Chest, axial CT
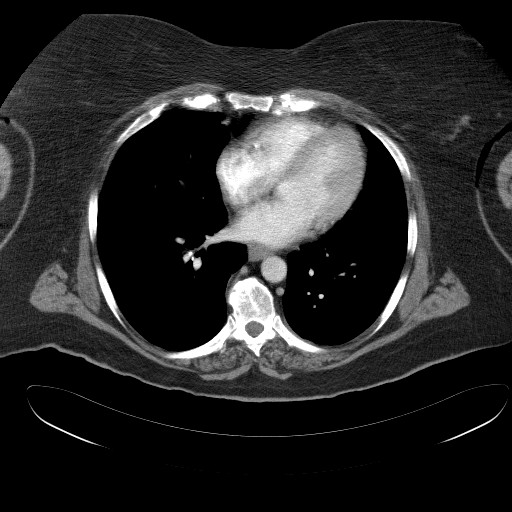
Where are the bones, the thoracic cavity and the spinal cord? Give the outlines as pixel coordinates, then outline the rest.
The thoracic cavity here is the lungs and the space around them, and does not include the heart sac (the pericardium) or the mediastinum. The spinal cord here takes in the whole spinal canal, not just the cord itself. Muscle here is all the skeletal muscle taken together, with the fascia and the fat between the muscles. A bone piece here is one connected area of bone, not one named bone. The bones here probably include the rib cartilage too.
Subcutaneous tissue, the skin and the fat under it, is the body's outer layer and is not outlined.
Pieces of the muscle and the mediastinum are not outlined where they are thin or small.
{"bones":[{"outer":[[247,276],[256,277],[268,287],[276,311],[291,330],[326,351],[304,351],[276,337],[261,346],[259,356],[243,341],[234,339],[226,341],[224,352],[193,358],[166,358],[162,355],[168,351],[188,350],[211,339],[232,310],[226,300],[227,289],[236,280]],"hole":[[253,321],[254,322],[257,322],[258,323],[259,323],[262,326],[262,330],[258,334],[257,334],[255,336],[253,336],[252,335],[251,335],[246,330],[246,326],[247,325],[247,324],[248,323],[249,323],[250,322],[252,322]]},[[226,91],[250,95],[273,96],[291,91],[297,96],[318,100],[322,104],[312,110],[282,113],[279,115],[252,108],[232,110],[224,103],[221,104],[222,109],[219,111],[190,109],[184,108],[180,105],[179,101],[183,97],[194,96],[205,92],[221,95]],[[363,121],[365,121],[374,126],[378,127],[385,132],[396,143],[401,152],[403,154],[408,165],[410,175],[411,176],[411,179],[410,180],[407,180],[402,176],[398,166],[396,164],[389,151],[383,143],[375,135],[374,135],[368,129],[361,124],[361,122]],[[162,100],[167,100],[169,102],[169,104],[165,108],[165,109],[161,112],[159,116],[131,135],[127,139],[126,139],[121,144],[121,145],[119,146],[119,147],[117,147],[115,142],[116,141],[116,139],[119,135],[139,115],[147,111],[152,106],[160,102]],[[406,271],[408,272],[408,275],[407,276],[407,279],[405,283],[405,286],[404,287],[403,292],[395,308],[384,324],[374,334],[370,335],[372,330],[377,323],[377,319],[378,317],[384,309],[387,302],[389,300],[390,296],[401,274],[403,272],[405,272]],[[96,263],[100,264],[102,268],[102,270],[105,275],[105,277],[112,292],[114,299],[118,306],[119,310],[122,314],[121,317],[125,325],[124,327],[114,316],[113,313],[108,306],[101,291],[98,282],[98,278],[96,274],[96,269],[95,268],[95,264]],[[95,188],[97,189],[97,191],[98,192],[98,200],[97,201],[97,230],[96,231],[96,238],[95,239],[95,241],[94,243],[92,243],[90,240],[90,237],[89,236],[89,229],[88,228],[88,218],[87,217],[87,214],[88,213],[88,200],[91,192]],[[412,208],[415,211],[415,213],[416,214],[416,220],[417,221],[417,241],[416,242],[416,245],[415,246],[415,250],[414,251],[414,253],[413,254],[413,255],[412,256],[410,256],[409,255],[408,255],[407,254],[407,240],[408,239],[408,212]]],"thoracic_cavity":[[[171,108],[220,112],[228,127],[233,120],[237,124],[248,118],[238,134],[229,129],[214,170],[227,213],[223,229],[245,245],[247,257],[227,280],[225,300],[231,310],[223,325],[205,342],[183,350],[151,343],[124,317],[96,240],[99,193],[117,150]],[[358,124],[382,143],[402,177],[407,204],[406,254],[401,273],[377,318],[348,341],[335,345],[319,345],[291,329],[277,311],[275,302],[280,304],[282,301],[287,283],[290,252],[297,251],[301,245],[325,234],[353,207],[362,190],[368,148],[357,128]]],"spinal_cord":[[[253,321],[254,322],[257,322],[258,323],[259,323],[262,326],[262,330],[258,334],[257,334],[255,336],[253,336],[252,335],[251,335],[246,330],[246,326],[247,325],[247,324],[248,323],[249,323],[250,322],[252,322]]],"muscle":[[[192,82],[219,83],[247,93],[205,91],[183,96],[178,101],[181,107],[166,109],[167,99],[152,105],[115,139],[118,148],[101,188],[99,192],[95,187],[87,200],[88,236],[92,244],[96,241],[100,261],[94,264],[97,282],[124,328],[122,315],[148,342],[166,350],[161,354],[166,359],[224,353],[228,340],[243,342],[259,357],[262,346],[276,338],[304,352],[324,353],[327,349],[322,346],[348,342],[376,320],[369,334],[374,335],[391,316],[409,275],[407,270],[402,272],[406,255],[414,255],[418,241],[417,214],[412,207],[408,211],[403,180],[412,179],[407,160],[381,128],[365,120],[357,123],[331,109],[315,109],[323,104],[318,99],[291,90],[258,94],[294,86],[354,100],[399,136],[396,139],[417,167],[426,199],[430,268],[438,277],[449,267],[470,295],[469,305],[424,321],[337,367],[298,371],[279,379],[254,366],[221,380],[163,366],[72,314],[35,308],[28,299],[43,270],[55,260],[68,272],[76,265],[82,195],[106,143],[100,140],[111,138],[106,133],[110,126],[146,97]],[[510,149],[511,149],[511,211],[505,208],[502,204],[502,202],[500,200],[500,198],[497,193],[497,186],[496,185],[496,180],[495,179],[495,175],[497,171],[497,166],[499,162],[502,159],[502,158],[508,152],[508,151]],[[0,138],[1,139],[2,142],[6,147],[7,150],[13,157],[13,161],[14,162],[14,164],[13,165],[13,166],[14,167],[14,172],[13,173],[13,176],[12,177],[12,182],[10,185],[9,190],[7,192],[7,194],[6,195],[5,198],[0,204]]],"mediastinum":[[[227,223],[238,240],[255,243],[268,250],[289,250],[304,242],[308,242],[301,244],[299,246],[297,250],[292,250],[287,255],[286,283],[280,303],[275,301],[269,287],[254,275],[238,278],[228,287],[230,276],[246,262],[248,257],[246,245],[232,239],[232,234],[224,229]],[[242,109],[252,109],[255,111],[259,111],[264,113],[270,113],[272,115],[265,115],[257,117],[252,120],[249,124],[248,124],[249,118],[244,116],[237,123],[233,119],[230,123],[230,125],[228,126],[225,123],[226,117],[220,111],[221,110],[235,111]],[[313,110],[331,110],[355,122],[357,124],[356,125],[356,128],[357,129],[356,129],[356,128],[349,122],[343,119],[340,119],[335,117],[330,117],[325,115],[312,114],[311,113],[294,113],[308,112]]],"right_arm":[[[0,118],[4,119],[4,120],[12,127],[15,128],[16,130],[19,131],[23,134],[29,145],[29,147],[32,154],[31,181],[30,182],[29,191],[27,196],[27,200],[19,216],[19,219],[17,221],[14,227],[14,229],[10,238],[0,252]]],"pericardium":[[[289,113],[325,116],[349,123],[359,132],[365,144],[366,165],[361,190],[351,208],[325,233],[289,249],[268,249],[258,243],[238,239],[230,229],[228,213],[216,176],[216,162],[226,144],[232,138],[239,135],[252,121],[260,117],[279,116]]],"torso":[[[84,13],[144,15],[214,43],[269,48],[367,20],[459,24],[511,81],[511,122],[485,144],[477,165],[481,222],[511,266],[511,341],[367,389],[297,401],[165,389],[53,347],[0,357],[0,253],[28,200],[33,168],[26,137],[0,107],[39,53]]],"left_arm":[[[510,130],[511,130],[511,265],[509,264],[503,257],[486,232],[486,230],[484,227],[484,224],[482,222],[482,218],[480,212],[480,199],[479,198],[479,172],[481,170],[484,160],[492,145],[492,143],[494,142],[496,139],[498,139],[501,137],[507,131]]]}